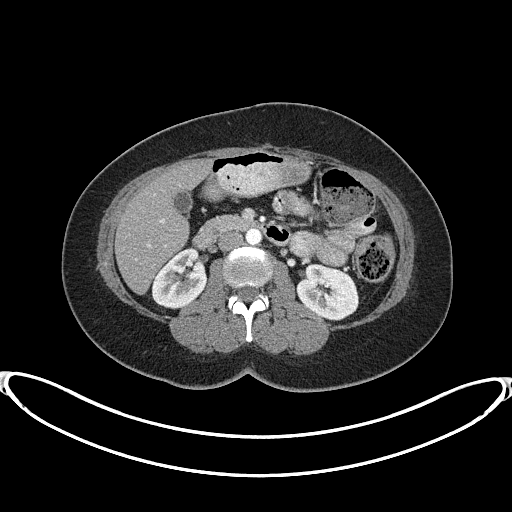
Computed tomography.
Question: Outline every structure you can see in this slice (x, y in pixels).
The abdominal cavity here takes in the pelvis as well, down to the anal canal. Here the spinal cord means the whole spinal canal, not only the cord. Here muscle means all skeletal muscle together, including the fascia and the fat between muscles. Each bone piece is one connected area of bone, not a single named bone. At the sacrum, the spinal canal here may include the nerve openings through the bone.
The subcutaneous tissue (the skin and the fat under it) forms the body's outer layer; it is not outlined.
Answer: torso: [[291,392],[335,390],[379,377],[413,357],[437,333],[451,301],[453,263],[449,233],[433,196],[378,135],[341,113],[311,104],[264,102],[211,113],[172,125],[134,144],[89,182],[66,225],[62,285],[80,328],[117,363],[178,387],[211,389],[249,374]]
bones: [[249,342],[252,340],[251,322],[254,313],[265,310],[269,306],[269,300],[263,287],[271,278],[273,269],[272,262],[264,250],[242,246],[232,250],[224,258],[223,274],[226,282],[234,289],[228,299],[228,308],[233,313],[239,313],[244,317],[245,339]]; inner edge: [[246,303],[248,303],[249,302],[254,300],[256,298],[256,297],[259,292],[259,289],[258,288],[256,288],[255,287],[252,287],[251,286],[244,286],[243,287],[241,287],[240,288],[238,288],[237,289],[236,292],[237,293],[239,298],[241,300],[244,301]]
muscle: [[275,355],[284,352],[292,355],[309,355],[312,354],[321,349],[325,345],[329,336],[335,331],[354,328],[359,325],[373,321],[378,318],[386,310],[388,310],[394,306],[406,295],[407,290],[410,286],[409,283],[412,277],[415,245],[414,244],[414,234],[413,233],[412,226],[408,217],[408,214],[398,197],[384,183],[369,172],[348,165],[335,157],[297,147],[291,148],[290,147],[283,147],[282,146],[275,146],[274,145],[264,145],[263,144],[257,144],[256,145],[251,145],[245,147],[223,147],[222,148],[215,148],[214,149],[209,149],[208,150],[204,150],[203,151],[192,153],[186,155],[182,158],[171,163],[167,163],[151,168],[141,173],[126,183],[117,192],[109,205],[105,209],[104,214],[99,225],[99,230],[97,237],[97,245],[96,246],[97,268],[100,272],[106,285],[119,299],[126,304],[128,304],[133,307],[137,313],[153,320],[164,323],[168,328],[173,338],[179,344],[182,345],[192,352],[199,353],[200,354],[207,354],[211,352],[231,352],[244,346],[253,346]] with a hole at [[249,342],[254,313],[269,306],[271,257],[288,267],[298,301],[333,323],[364,315],[389,288],[397,237],[380,199],[345,170],[262,152],[208,159],[150,182],[128,205],[114,261],[133,297],[175,315],[223,257],[234,289],[228,308],[244,317]]
abdominal cavity: [[333,323],[356,319],[377,305],[393,280],[399,253],[397,237],[380,199],[343,169],[262,152],[194,162],[150,182],[131,200],[116,227],[114,261],[118,274],[136,300],[158,313],[175,315],[197,299],[207,283],[211,261],[249,245],[285,263],[298,301]]
spinal cord: [[246,303],[248,303],[249,302],[254,300],[256,298],[256,297],[259,292],[259,289],[258,288],[256,288],[255,287],[252,287],[251,286],[244,286],[243,287],[241,287],[240,288],[238,288],[237,289],[236,292],[237,293],[239,298],[241,300],[244,301]]